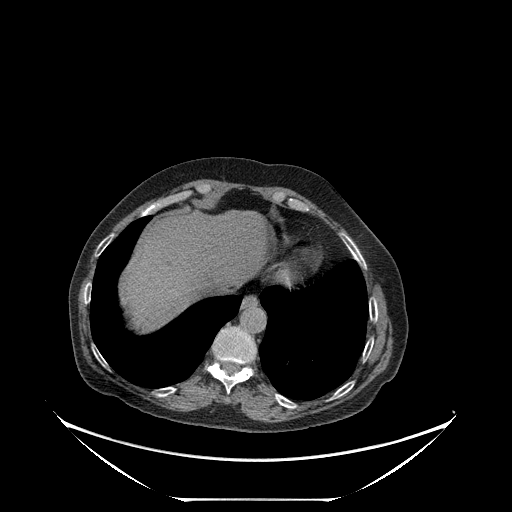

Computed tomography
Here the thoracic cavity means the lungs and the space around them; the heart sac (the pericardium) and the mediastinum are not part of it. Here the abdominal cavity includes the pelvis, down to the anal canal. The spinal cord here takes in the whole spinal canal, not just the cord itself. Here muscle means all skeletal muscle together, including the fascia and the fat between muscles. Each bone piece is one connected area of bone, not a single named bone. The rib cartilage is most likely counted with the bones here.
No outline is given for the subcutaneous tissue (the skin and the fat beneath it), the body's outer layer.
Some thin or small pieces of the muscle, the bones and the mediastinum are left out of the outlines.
{"bones":[{"outer":[[230,325],[239,326],[253,338],[257,346],[256,362],[258,368],[256,373],[251,376],[249,379],[235,384],[230,390],[228,395],[226,393],[224,385],[218,379],[213,377],[203,369],[203,362],[205,358],[210,355],[209,351],[211,345],[219,330],[223,327]],"hole":[[224,362],[232,362],[233,363],[235,363],[236,364],[237,364],[239,366],[239,369],[237,371],[236,371],[234,373],[233,373],[232,374],[228,374],[226,372],[226,371],[223,368],[222,368],[222,364]]},[[204,183],[209,184],[211,186],[211,190],[209,193],[201,194],[197,192],[194,192],[192,195],[186,199],[174,203],[171,203],[162,207],[151,214],[139,217],[140,212],[152,203],[162,198],[164,198],[168,195],[174,194],[183,190],[193,189],[195,186]],[[342,229],[345,230],[347,232],[347,233],[355,242],[358,248],[360,250],[365,260],[365,262],[366,263],[366,266],[367,267],[366,270],[361,269],[358,263],[350,255],[350,253],[346,248],[345,245],[342,242],[342,241],[338,236],[337,233],[340,230]],[[278,191],[281,191],[283,192],[287,197],[296,198],[304,202],[308,206],[309,206],[310,208],[310,211],[309,212],[305,212],[304,211],[299,211],[295,209],[292,209],[288,207],[285,202],[282,202],[281,203],[275,203],[272,201],[272,195],[273,193]],[[351,379],[355,379],[356,380],[356,382],[354,386],[347,393],[331,401],[328,401],[327,402],[325,401],[325,399],[329,397],[336,389],[340,387],[348,380],[350,380]],[[372,294],[374,294],[376,298],[376,300],[377,301],[377,305],[378,306],[378,314],[377,315],[377,321],[376,323],[374,324],[368,321],[369,320],[369,305],[368,304],[368,300],[369,299],[369,296],[370,296]],[[275,391],[281,394],[283,396],[293,401],[295,401],[298,404],[298,407],[294,409],[291,409],[290,408],[287,408],[284,406],[282,406],[280,405],[276,401],[274,397],[274,393]],[[111,232],[114,232],[116,234],[116,236],[111,241],[111,242],[105,248],[105,249],[101,253],[101,254],[98,257],[96,257],[95,256],[95,253],[96,252],[96,247],[97,246],[97,245],[99,243],[99,242],[104,237],[105,237],[108,234],[109,234]],[[92,341],[95,344],[96,347],[98,349],[98,350],[100,352],[100,353],[102,355],[104,359],[107,362],[107,363],[112,369],[112,371],[111,372],[109,372],[105,368],[104,368],[95,358],[92,352],[91,347],[90,346],[90,344]],[[371,335],[372,335],[374,338],[374,340],[373,341],[373,346],[372,347],[371,352],[370,353],[368,358],[364,363],[362,363],[360,361],[360,358],[361,357],[362,352],[364,349],[364,347],[365,346],[365,343],[366,342],[366,340]],[[167,386],[174,386],[177,388],[177,389],[173,393],[171,393],[170,394],[169,394],[166,396],[161,396],[160,397],[157,397],[156,396],[153,395],[151,393],[151,391],[152,390],[152,389],[156,389],[157,388],[161,388],[162,387],[166,387]],[[88,281],[91,281],[91,297],[90,298],[90,302],[89,303],[89,304],[88,305],[86,305],[84,303],[84,302],[83,301],[83,291],[84,290],[84,287],[85,286],[85,285],[86,284],[86,283]]],"abdominal_cavity":[[[233,189],[250,190],[279,205],[277,208],[286,220],[283,234],[286,247],[281,256],[263,273],[248,281],[236,294],[216,295],[202,299],[149,334],[136,335],[126,329],[118,306],[116,285],[146,224],[156,215],[178,208],[181,201],[200,195],[219,195]]],"pericardium":[[[285,217],[308,224],[318,230],[328,251],[328,258],[318,271],[319,272],[307,278],[303,284],[299,284],[296,288],[292,289],[288,289],[278,284],[262,283],[259,278],[260,275],[263,274],[282,256],[287,247],[287,241],[284,236],[285,222],[287,220]]],"thoracic_cavity":[[[350,256],[361,270],[368,295],[366,339],[360,357],[349,379],[333,391],[311,400],[293,400],[273,387],[257,362],[258,347],[264,337],[268,321],[259,293],[263,288],[273,285],[288,290],[296,289],[307,279],[319,273],[321,269],[323,273]],[[149,215],[151,218],[142,228],[116,280],[116,301],[126,330],[136,336],[149,335],[202,300],[216,296],[242,296],[237,313],[218,330],[210,345],[209,355],[202,363],[186,379],[156,388],[132,383],[111,367],[93,341],[89,305],[98,258],[131,222]]],"muscle":[[[95,248],[97,261],[92,280],[85,283],[82,291],[82,301],[89,306],[91,352],[109,373],[113,370],[132,384],[151,389],[150,393],[157,398],[173,394],[178,389],[174,385],[186,380],[202,364],[202,369],[223,385],[228,396],[235,385],[249,380],[259,368],[275,390],[275,401],[291,410],[299,407],[298,401],[311,401],[332,392],[324,399],[327,403],[347,394],[357,382],[350,378],[359,360],[364,364],[372,352],[375,338],[372,334],[367,338],[368,322],[376,324],[379,314],[375,294],[369,295],[367,291],[362,270],[368,267],[361,250],[384,293],[393,338],[389,362],[350,399],[290,420],[254,420],[229,404],[190,411],[162,407],[105,378],[83,355],[78,294]],[[204,178],[255,186],[281,186],[292,189],[309,199],[345,229],[340,229],[336,235],[321,219],[310,213],[311,208],[309,205],[296,197],[287,196],[281,190],[272,193],[271,201],[247,188],[233,188],[219,194],[208,194],[212,190],[212,186],[209,183],[204,182],[195,185],[193,188],[183,189],[168,194],[152,202],[142,209],[139,212],[138,217],[131,221],[117,235],[114,231],[111,231],[113,226],[141,204],[186,182]]],"mediastinum":[[[258,276],[259,281],[262,284],[272,285],[263,287],[258,293],[259,302],[267,315],[267,321],[264,334],[258,346],[254,338],[239,325],[230,324],[224,326],[239,311],[243,296],[241,294],[237,294],[238,291],[245,286],[248,282],[252,281],[253,279]],[[279,206],[287,207],[292,210],[299,212],[309,213],[317,217],[339,238],[349,253],[349,257],[338,261],[331,267],[322,272],[323,271],[322,268],[329,258],[329,251],[327,244],[320,231],[308,223],[284,216],[280,212],[280,210],[278,208]],[[178,202],[179,204],[178,207],[176,208],[171,208],[170,210],[168,211],[163,211],[162,212],[160,212],[152,217],[152,214],[153,214],[155,212],[160,210],[162,208],[166,206],[168,206],[171,204],[174,204]]],"spinal_cord":[[[224,362],[232,362],[233,363],[235,363],[236,364],[237,364],[239,366],[239,369],[237,371],[236,371],[234,373],[233,373],[232,374],[228,374],[226,372],[226,371],[223,368],[222,368],[222,364]]],"torso":[[[210,156],[293,164],[316,172],[335,188],[395,260],[404,288],[409,325],[407,343],[395,376],[360,412],[331,423],[281,432],[212,428],[145,413],[114,396],[94,390],[80,376],[70,337],[68,289],[86,240],[102,218],[140,182],[171,165]]]}